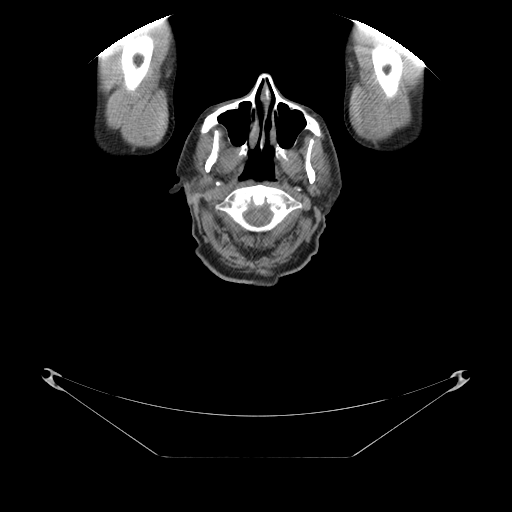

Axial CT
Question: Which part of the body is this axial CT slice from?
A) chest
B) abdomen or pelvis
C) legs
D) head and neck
Answer: D) head and neck
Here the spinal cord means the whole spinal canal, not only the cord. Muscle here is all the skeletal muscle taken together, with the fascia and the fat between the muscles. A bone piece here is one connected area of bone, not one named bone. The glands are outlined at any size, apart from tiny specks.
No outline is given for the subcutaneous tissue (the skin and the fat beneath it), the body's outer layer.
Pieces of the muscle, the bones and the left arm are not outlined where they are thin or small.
{"spinal_cord":[[[250,204],[252,204],[256,207],[259,207],[260,206],[262,206],[264,204],[267,204],[268,205],[269,209],[272,213],[272,216],[270,220],[267,223],[263,224],[262,225],[254,225],[253,224],[249,223],[244,218],[243,213],[248,209],[249,205]]],"muscle":[{"outer":[[219,124],[225,127],[231,143],[238,146],[237,154],[247,156],[238,177],[240,180],[273,180],[274,156],[287,160],[287,150],[296,142],[302,130],[320,137],[321,126],[325,136],[323,144],[330,166],[324,164],[317,174],[316,189],[327,196],[318,226],[297,257],[274,268],[268,275],[245,273],[222,264],[206,247],[198,228],[191,190],[200,185],[200,180],[198,175],[192,174],[191,157],[200,125],[199,132],[205,134]],"holes":[[[256,184],[262,184],[266,186],[276,187],[285,191],[296,200],[300,202],[301,203],[301,207],[292,210],[278,224],[270,230],[263,232],[253,232],[245,229],[237,223],[225,211],[216,208],[216,206],[222,202],[225,197],[234,189],[239,187],[251,186]],[[215,129],[217,129],[220,132],[219,140],[218,141],[219,148],[218,149],[217,158],[216,161],[212,165],[210,170],[208,172],[206,172],[205,171],[204,165],[205,164],[205,161],[210,154],[212,149],[212,146],[213,145],[213,136],[214,135],[214,131]],[[311,138],[313,139],[313,144],[311,148],[310,163],[313,169],[315,171],[315,180],[313,183],[310,183],[309,182],[309,180],[307,177],[307,174],[305,170],[305,165],[304,164],[305,162],[305,159],[304,158],[307,151],[307,148],[309,144],[309,141]]]},{"outer":[[160,18],[169,34],[171,44],[169,54],[170,65],[165,86],[167,92],[168,126],[161,141],[156,145],[149,148],[138,147],[133,149],[122,140],[117,130],[108,129],[104,122],[103,112],[105,102],[99,86],[99,73],[103,52],[107,47],[130,32]],"hole":[[144,34],[152,36],[153,38],[153,42],[154,43],[153,51],[152,52],[149,67],[145,76],[140,82],[138,86],[133,91],[128,91],[124,86],[123,74],[122,73],[121,64],[120,63],[121,48],[123,44],[127,41],[137,36],[143,35]]},{"outer":[[358,21],[367,24],[393,38],[415,54],[422,61],[417,84],[417,91],[411,98],[411,123],[404,128],[398,129],[393,135],[386,140],[377,143],[374,143],[358,136],[354,131],[349,119],[349,100],[351,88],[354,83],[354,53],[352,52],[351,45]],"hole":[[376,46],[383,46],[384,47],[390,48],[395,52],[400,54],[403,61],[402,74],[398,86],[398,91],[396,95],[392,98],[387,98],[386,97],[383,90],[376,80],[376,75],[374,71],[374,67],[372,61],[372,56],[371,55],[371,52]]}],"left_arm":[[[351,20],[356,20],[367,24],[393,38],[415,54],[424,64],[423,68],[425,77],[425,94],[423,104],[424,129],[420,137],[403,151],[397,153],[385,153],[366,148],[354,141],[345,127],[343,119],[343,97],[345,84],[344,45],[347,32],[353,23]]],"parotid_glands":[[[326,164],[329,165],[330,167],[330,169],[331,170],[331,177],[332,178],[332,186],[330,190],[331,192],[331,194],[329,197],[327,195],[325,195],[324,194],[322,194],[320,193],[317,189],[317,179],[318,178],[318,174],[320,171],[320,169],[324,165]],[[190,166],[190,167],[192,168],[191,169],[191,172],[190,173],[193,176],[195,176],[196,175],[198,176],[198,179],[199,180],[199,185],[195,189],[190,189],[190,188],[188,186],[188,181],[190,179],[190,175],[188,173],[187,171],[187,169]]],"head_and_neck":[{"outer":[[262,73],[271,77],[288,100],[304,104],[323,117],[342,179],[340,198],[326,215],[318,251],[301,269],[271,286],[227,281],[210,271],[194,253],[196,241],[191,233],[184,190],[169,193],[178,180],[175,169],[184,141],[199,114],[212,104],[244,96]],"holes":[[[269,115],[270,128],[267,134],[267,137],[269,144],[273,148],[274,152],[273,156],[274,178],[256,179],[253,177],[247,177],[244,179],[240,179],[239,177],[243,172],[248,159],[248,151],[253,148],[257,142],[261,150],[264,148],[266,139],[265,126]],[[281,103],[286,105],[290,110],[297,110],[299,111],[301,113],[303,119],[305,121],[305,124],[299,133],[297,134],[297,136],[295,138],[293,144],[287,148],[282,147],[277,140],[276,120],[278,118],[279,115],[278,112],[278,106],[279,104]],[[243,102],[248,102],[250,104],[249,107],[249,113],[250,114],[249,129],[248,130],[248,134],[246,139],[240,145],[235,145],[232,143],[230,140],[230,138],[228,135],[228,131],[226,127],[220,122],[219,117],[222,114],[228,111],[237,110],[240,104]],[[260,86],[260,93],[259,94],[259,100],[260,101],[260,103],[261,104],[261,109],[262,110],[262,119],[261,120],[260,120],[260,117],[259,116],[259,110],[258,109],[258,108],[257,107],[257,105],[256,104],[256,95],[257,94],[257,91]]]}],"bones":[{"outer":[[262,73],[320,126],[320,136],[303,129],[302,113],[279,103],[276,140],[287,149],[287,159],[275,157],[268,137],[269,114],[263,148],[257,141],[246,156],[238,154],[250,129],[248,101],[222,113],[220,123],[200,132],[208,114],[248,94]],"hole":[[260,86],[260,93],[259,94],[259,100],[260,101],[260,103],[261,104],[261,109],[262,110],[262,119],[261,120],[260,120],[260,117],[259,116],[259,110],[258,109],[258,108],[257,107],[257,105],[256,104],[256,95],[257,94],[257,91]]},{"outer":[[256,184],[262,184],[266,186],[276,187],[285,191],[296,200],[300,202],[301,203],[301,207],[292,210],[278,224],[270,230],[263,232],[253,232],[245,229],[237,223],[225,211],[216,208],[216,206],[222,202],[225,197],[234,189],[239,187],[251,186]],"hole":[[250,204],[252,204],[256,207],[259,207],[260,206],[262,206],[264,204],[267,204],[268,205],[269,209],[272,213],[272,216],[270,220],[267,223],[263,224],[262,225],[254,225],[253,224],[249,223],[244,218],[243,213],[248,209],[249,205]]},[[144,34],[152,36],[153,38],[153,42],[154,43],[153,51],[152,52],[149,67],[145,76],[140,82],[138,86],[133,91],[128,91],[124,86],[123,74],[122,73],[121,64],[120,63],[121,48],[123,44],[127,41],[137,36],[143,35]],[[376,46],[383,46],[384,47],[390,48],[395,52],[400,54],[403,61],[402,74],[398,86],[398,91],[396,95],[392,98],[387,98],[386,97],[383,90],[376,80],[376,75],[374,71],[374,67],[372,61],[372,56],[371,55],[371,52]],[[215,129],[217,129],[220,132],[219,140],[218,141],[219,148],[218,149],[217,158],[216,161],[212,165],[210,170],[208,172],[206,172],[205,171],[204,165],[205,164],[205,161],[210,154],[212,149],[212,146],[213,145],[213,136],[214,135],[214,131]],[[311,138],[313,139],[313,144],[311,148],[310,163],[313,169],[315,171],[315,180],[313,183],[310,183],[309,182],[309,180],[307,177],[307,174],[305,170],[305,165],[304,164],[305,162],[305,159],[304,158],[307,151],[307,148],[309,144],[309,141]]],"right_arm":[[[165,16],[169,16],[167,19],[173,25],[177,41],[177,70],[173,90],[175,118],[173,133],[167,143],[155,153],[133,157],[116,157],[108,155],[97,149],[94,145],[91,135],[95,108],[95,74],[97,59],[100,57],[100,53],[120,38],[141,26]]]}